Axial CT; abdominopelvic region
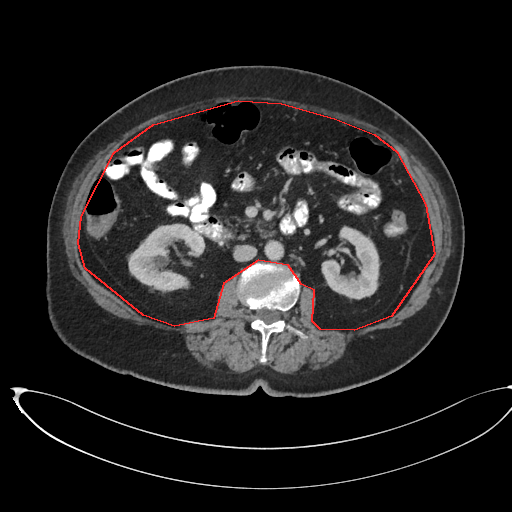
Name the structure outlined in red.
red: abdominal cavity.
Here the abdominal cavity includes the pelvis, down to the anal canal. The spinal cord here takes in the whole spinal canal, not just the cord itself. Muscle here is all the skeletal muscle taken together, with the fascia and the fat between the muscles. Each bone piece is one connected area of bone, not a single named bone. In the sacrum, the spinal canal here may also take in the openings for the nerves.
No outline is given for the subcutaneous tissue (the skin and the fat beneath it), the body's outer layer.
{"abdominal_cavity":[[[238,100],[281,103],[334,118],[374,134],[396,151],[425,204],[434,254],[391,316],[354,330],[320,329],[312,321],[314,290],[301,284],[288,265],[258,260],[223,283],[213,318],[174,326],[143,315],[85,268],[78,243],[81,216],[114,152],[153,124]]],"spinal_cord":[[[262,308],[266,308],[269,310],[277,310],[280,312],[280,315],[281,316],[281,317],[279,319],[278,319],[277,320],[276,320],[271,323],[266,323],[263,320],[262,320],[261,319],[258,318],[256,315],[256,311],[257,310],[258,310],[259,309],[261,309]]],"muscle":[{"outer":[[232,95],[235,96],[269,96],[280,99],[296,101],[300,103],[315,105],[332,111],[337,111],[344,114],[348,114],[371,123],[381,128],[394,137],[411,153],[416,156],[430,170],[431,173],[439,183],[440,188],[446,198],[446,201],[452,219],[453,245],[448,261],[427,304],[411,317],[397,326],[394,326],[390,328],[379,329],[372,333],[355,339],[347,345],[342,357],[333,363],[319,369],[312,370],[308,368],[303,368],[292,374],[284,374],[277,372],[267,366],[264,366],[263,367],[256,367],[246,372],[236,373],[231,371],[223,363],[220,363],[213,367],[204,366],[196,360],[190,353],[181,339],[174,333],[169,331],[165,331],[158,328],[134,324],[114,317],[102,309],[93,300],[92,297],[88,293],[86,289],[72,275],[71,271],[65,261],[63,239],[61,231],[61,221],[64,211],[67,193],[69,187],[75,178],[85,164],[90,159],[108,142],[121,135],[134,126],[151,117],[176,107],[185,105],[192,102],[204,100],[209,98],[213,98],[214,97],[221,97],[222,96],[223,97],[224,96],[231,96]],"hole":[[238,100],[334,118],[396,151],[425,204],[434,254],[391,316],[354,330],[320,329],[312,321],[316,294],[302,284],[285,321],[308,337],[272,333],[261,363],[238,273],[218,290],[213,318],[174,326],[143,315],[85,268],[81,216],[114,152],[153,124]]}],"bones":[{"outer":[[258,261],[283,264],[298,274],[301,285],[299,296],[293,307],[285,313],[285,321],[308,336],[302,338],[290,333],[287,329],[272,333],[267,343],[267,360],[265,363],[259,361],[261,335],[250,326],[251,312],[237,295],[238,280],[241,272],[247,266]],"hole":[[262,308],[266,308],[269,310],[277,310],[280,312],[280,315],[281,316],[281,317],[279,319],[278,319],[277,320],[276,320],[271,323],[266,323],[263,320],[262,320],[261,319],[258,318],[256,315],[256,311],[257,310],[258,310],[259,309],[261,309]]}],"torso":[[[233,65],[293,67],[357,87],[413,124],[447,166],[464,215],[460,280],[435,337],[398,370],[314,397],[274,397],[261,387],[244,396],[201,393],[109,370],[71,351],[52,330],[45,296],[47,217],[58,179],[75,148],[99,123],[144,92],[190,73]]]}